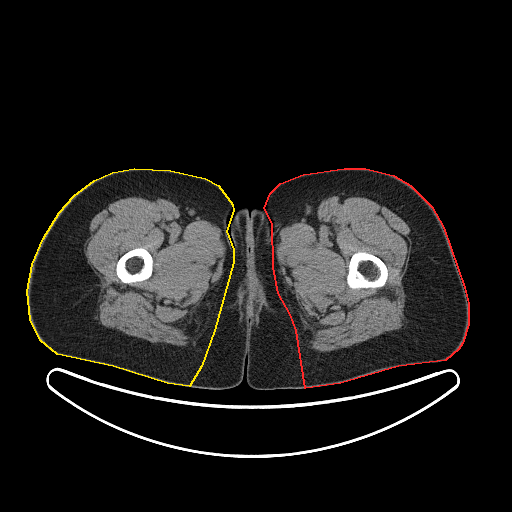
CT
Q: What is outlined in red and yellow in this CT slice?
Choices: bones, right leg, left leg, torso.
A: red: left leg; yellow: right leg.
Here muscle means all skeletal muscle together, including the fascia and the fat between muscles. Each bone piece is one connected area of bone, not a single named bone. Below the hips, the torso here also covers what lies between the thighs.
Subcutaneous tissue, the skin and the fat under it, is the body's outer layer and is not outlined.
left leg: 344 168; 365 168; 393 175; 410 185; 431 206; 443 227; 464 287; 468 303; 468 324; 462 343; 458 349; 445 360; 398 366; 340 383; 305 388; 296 330; 290 314; 278 293; 273 267; 272 223; 264 208; 270 193; 280 183; 303 174
right leg: 134 168; 170 170; 205 178; 218 185; 232 204; 233 210; 226 231; 233 249; 233 262; 214 330; 201 366; 189 386; 167 383; 113 366; 57 354; 40 340; 30 319; 27 291; 32 264; 43 238; 59 212; 74 195; 94 180; 112 172
torso: 242 207; 249 210; 254 207; 263 208; 269 217; 271 223; 272 267; 277 293; 289 314; 295 330; 304 388; 258 390; 248 385; 245 376; 237 386; 228 389; 189 387; 202 366; 207 347; 216 327; 234 262; 234 249; 229 225; 233 211
muscle 1: 340 193; 374 200; 397 214; 409 226; 411 249; 402 278; 406 295; 403 311; 407 322; 398 330; 386 332; 366 341; 337 350; 319 352; 306 344; 306 331; 300 317; 299 306; 280 273; 275 240; 283 227; 306 220; 317 209; 321 200 with a hole at 358 251; 363 251; 364 252; 371 253; 381 259; 386 265; 386 267; 388 270; 388 276; 386 282; 383 286; 377 288; 355 288; 354 289; 348 286; 346 281; 346 277; 348 273; 348 265; 349 264; 349 261; 351 256; 354 253
muscle 2: 134 195; 151 195; 168 199; 180 205; 190 215; 207 220; 221 230; 226 248; 223 272; 207 292; 187 326; 187 332; 196 338; 194 345; 152 343; 108 328; 95 318; 100 279; 87 262; 83 249; 89 236; 89 224; 92 218; 109 203; inner edge: 137 247; 143 247; 145 248; 150 253; 153 260; 152 273; 151 275; 145 280; 133 282; 130 284; 128 283; 124 283; 121 281; 121 280; 116 274; 116 264; 117 263; 117 261; 119 259; 119 258; 127 251; 131 249; 136 248
bones 1: 358 251; 363 251; 364 252; 371 253; 381 259; 386 265; 386 267; 388 270; 388 276; 386 282; 383 286; 377 288; 355 288; 354 289; 348 286; 346 281; 346 277; 348 273; 348 265; 349 264; 349 261; 351 256; 354 253
bones 2: 137 247; 143 247; 145 248; 150 253; 153 260; 152 273; 151 275; 145 280; 133 282; 130 284; 128 283; 124 283; 121 281; 121 280; 116 274; 116 264; 117 263; 117 261; 119 259; 119 258; 127 251; 131 249; 136 248